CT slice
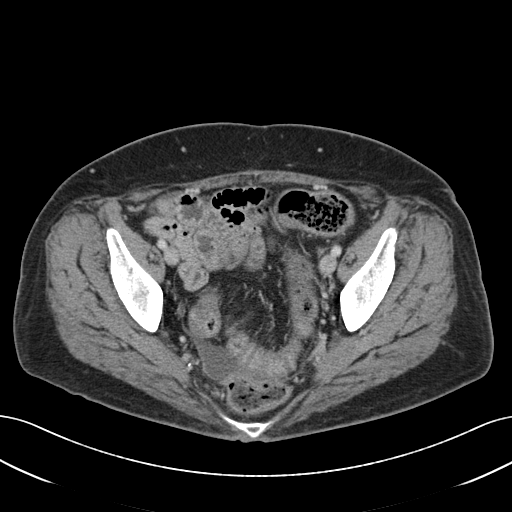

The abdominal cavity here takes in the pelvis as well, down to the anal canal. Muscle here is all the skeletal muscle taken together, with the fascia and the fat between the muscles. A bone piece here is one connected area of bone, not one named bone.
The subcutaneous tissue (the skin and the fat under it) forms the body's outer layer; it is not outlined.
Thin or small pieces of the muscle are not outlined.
The abdominal cavity is outlined by 251 178; 337 185; 362 204; 384 203; 382 217; 353 240; 338 262; 337 278; 343 285; 339 291; 341 320; 308 379; 284 409; 254 423; 233 419; 194 386; 187 364; 159 338; 164 260; 122 215; 126 203; 146 200; 170 188; 209 189. The muscle is outlined by 247 169; 365 181; 430 201; 454 225; 457 302; 443 342; 421 363; 260 435; 306 384; 340 320; 355 332; 384 298; 396 270; 395 226; 381 232; 343 284; 338 265; 383 217; 385 203; 362 203; 337 184; 253 177; 209 188; 170 187; 126 202; 122 218; 158 250; 165 274; 161 285; 108 226; 117 296; 144 330; 158 329; 193 386; 244 437; 76 359; 47 299; 44 242; 47 229; 81 196. The bones appear in 3 outlined pieces: piece 1: 389 227; 395 227; 398 233; 397 239; 395 243; 395 252; 394 253; 395 270; 392 280; 383 298; 367 321; 361 327; 355 331; 349 332; 346 329; 340 314; 340 291; 342 289; 344 284; 352 274; 364 263; 372 253; 382 232; piece 2: 108 227; 112 227; 119 232; 131 255; 155 279; 162 289; 163 292; 163 308; 161 318; 158 324; 158 328; 155 332; 149 332; 144 329; 130 315; 118 296; 118 294; 114 287; 109 270; 109 260; 110 259; 107 242; 105 237; 105 232; piece 3: 219 412; 221 412; 225 414; 235 421; 239 421; 240 422; 247 423; 248 424; 264 423; 276 415; 279 416; 279 418; 270 426; 267 427; 263 432; 262 432; 256 437; 250 437; 242 430; 237 428; 235 426; 225 421; 219 415; 218 413. The torso is outlined by 218 121; 257 125; 306 123; 341 129; 387 143; 439 174; 453 190; 475 240; 494 338; 493 359; 487 373; 441 397; 389 416; 271 443; 242 443; 120 412; 25 372; 14 347; 13 308; 27 235; 52 193; 73 172; 128 142; 169 128.